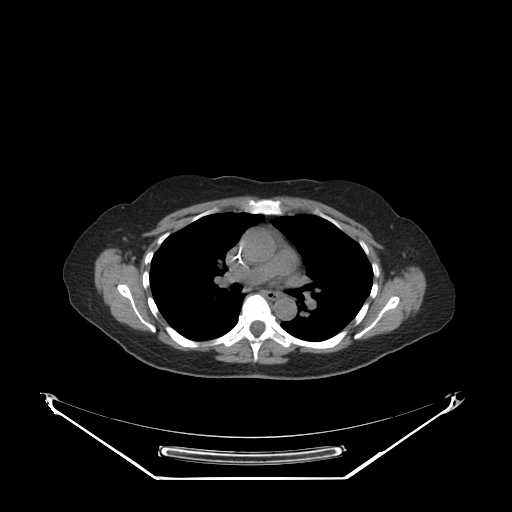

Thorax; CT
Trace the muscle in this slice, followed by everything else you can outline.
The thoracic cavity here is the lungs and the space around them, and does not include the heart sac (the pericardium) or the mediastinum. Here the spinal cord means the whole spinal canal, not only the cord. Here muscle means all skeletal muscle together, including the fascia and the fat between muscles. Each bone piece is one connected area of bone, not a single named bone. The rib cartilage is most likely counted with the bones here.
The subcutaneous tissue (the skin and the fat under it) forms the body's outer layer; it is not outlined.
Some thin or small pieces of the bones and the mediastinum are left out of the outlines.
Outlines:
muscle 1: (246, 195) (260, 198) (248, 198) (241, 201) (238, 204) (240, 211) (220, 212) (220, 208) (215, 205) (192, 216) (188, 223) (178, 230) (172, 233) (169, 231) (162, 233) (156, 240) (157, 249) (148, 251) (144, 256) (143, 262) (149, 265) (149, 270) (145, 269) (142, 272) (141, 283) (145, 290) (149, 288) (151, 292) (151, 295) (146, 297) (150, 312) (156, 319) (161, 314) (167, 322) (164, 329) (174, 342) (182, 347) (194, 349) (221, 344) (230, 347) (246, 339) (252, 351) (253, 362) (231, 363) (217, 360) (205, 353) (179, 350) (113, 317) (101, 300) (94, 282) (94, 263) (104, 249) (121, 248) (135, 256) (139, 264) (147, 247) (155, 238) (144, 237) (142, 234) (152, 230) (166, 215) (194, 204), around a hole outlined by (118, 284) (125, 284) (127, 285) (129, 288) (129, 290) (131, 293) (132, 298) (134, 301) (135, 306) (138, 312) (147, 322) (150, 323) (155, 327) (156, 329) (155, 332) (152, 332) (146, 325) (141, 322) (135, 313) (130, 303) (130, 301) (118, 291) (117, 289) (117, 285)
muscle 2: (275, 196) (302, 197) (319, 201) (365, 226) (373, 238) (383, 247) (376, 250) (385, 278) (402, 267) (418, 266) (424, 273) (426, 288) (417, 312) (388, 333) (378, 334) (365, 340) (357, 341) (335, 352) (298, 354) (280, 364) (257, 363) (259, 349) (263, 342) (268, 339) (284, 348) (292, 344) (314, 349) (327, 349) (336, 346) (348, 333) (348, 330) (344, 328) (352, 320) (355, 326) (358, 325) (366, 315) (370, 305) (366, 299) (368, 297) (373, 299) (377, 295) (378, 283) (375, 280) (373, 281) (373, 279) (380, 275) (378, 264) (375, 261) (370, 262) (368, 259) (370, 251) (367, 244) (360, 238) (356, 241) (350, 237) (336, 219) (318, 207) (312, 208) (310, 213) (286, 213) (288, 207) (280, 199) (270, 198) with a hole at (392, 296) (398, 296) (399, 297) (399, 301) (397, 305) (393, 308) (390, 308) (386, 310) (383, 313) (382, 316) (373, 327) (364, 333) (359, 338) (355, 339) (354, 338) (354, 335) (356, 333) (358, 333) (364, 328) (368, 326) (375, 319) (379, 312) (383, 308) (388, 300)
spinal cord: (254, 321) (260, 321) (261, 322) (262, 322) (264, 324) (264, 329) (263, 330) (263, 331) (259, 335) (258, 335) (257, 336) (256, 336) (255, 335) (254, 335) (251, 332) (251, 331) (250, 330) (250, 326) (251, 325) (251, 324)
bones 1: (256, 293) (266, 300) (280, 326) (297, 338) (322, 341) (343, 329) (347, 333) (340, 342) (327, 348) (292, 343) (284, 347) (268, 338) (260, 345) (256, 362) (246, 338) (230, 346) (222, 343) (182, 346) (171, 338) (166, 325) (194, 341) (217, 338) (237, 323) (245, 297) with a hole at (254, 321) (260, 321) (261, 322) (262, 322) (264, 324) (264, 329) (263, 330) (263, 331) (259, 335) (258, 335) (257, 336) (256, 336) (255, 335) (254, 335) (251, 332) (251, 331) (250, 330) (250, 326) (251, 325) (251, 324)
bones 2: (248, 199) (252, 199) (253, 200) (258, 200) (259, 199) (280, 200) (282, 202) (282, 204) (285, 207) (287, 207) (287, 209) (285, 211) (285, 213) (282, 215) (277, 215) (276, 214) (262, 214) (261, 213) (250, 213) (249, 212) (242, 211) (239, 207) (239, 204) (241, 202)
bones 3: (392, 296) (398, 296) (399, 297) (399, 301) (397, 305) (393, 308) (390, 308) (386, 310) (383, 313) (382, 316) (373, 327) (364, 333) (359, 338) (355, 339) (354, 338) (354, 335) (356, 333) (358, 333) (364, 328) (368, 326) (375, 319) (379, 312) (383, 308) (388, 300)
bones 4: (118, 284) (125, 284) (127, 285) (129, 288) (129, 290) (131, 293) (132, 298) (134, 301) (135, 306) (138, 312) (147, 322) (150, 323) (155, 327) (156, 329) (155, 332) (152, 332) (146, 325) (141, 322) (135, 313) (130, 303) (130, 301) (118, 291) (117, 289) (117, 285)
bones 5: (314, 208) (318, 208) (323, 213) (324, 213) (326, 215) (331, 217) (333, 219) (336, 220) (340, 224) (340, 225) (342, 227) (343, 230) (340, 229) (329, 220) (328, 220) (325, 218) (323, 218) (318, 215) (316, 215) (315, 214) (313, 214) (312, 213) (311, 213) (311, 210)
bones 6: (366, 301) (367, 301) (369, 303) (369, 305) (368, 306) (367, 311) (366, 312) (365, 315) (361, 320) (361, 321) (358, 324) (355, 325) (354, 324) (354, 321) (353, 320) (353, 319) (356, 315) (356, 314) (359, 311) (359, 310) (361, 308) (361, 307) (363, 305) (363, 304)
bones 7: (215, 206) (216, 206) (219, 208) (219, 212) (216, 212) (215, 213) (212, 213) (211, 214) (208, 214) (207, 215) (204, 215) (203, 216) (202, 216) (189, 223) (189, 221) (192, 218) (192, 217) (193, 217) (194, 216) (195, 216) (196, 215) (197, 215) (210, 208) (212, 208)
bones 8: (148, 296) (151, 296) (152, 297) (152, 298) (154, 300) (154, 302) (155, 303) (155, 304) (159, 311) (159, 313) (158, 314) (158, 317) (157, 318) (156, 318) (153, 315) (153, 314) (151, 312) (151, 311) (149, 308) (149, 306) (148, 305) (148, 303) (147, 302) (147, 297)
bones 9: (150, 251) (153, 251) (154, 252) (154, 253) (153, 254) (153, 255) (152, 256) (152, 258) (151, 259) (151, 260) (150, 261) (150, 263) (149, 264) (145, 264) (145, 263) (144, 262) (144, 259) (145, 258) (145, 256) (146, 255) (146, 254) (148, 252) (149, 252)
bones 10: (166, 232) (169, 232) (170, 233) (170, 234) (167, 237) (166, 237) (163, 240) (163, 241) (160, 244) (160, 245) (158, 247) (158, 246) (157, 245) (157, 240) (158, 239) (158, 238) (162, 234) (163, 234) (164, 233) (165, 233)
bones 11: (360, 239) (361, 240) (362, 240) (366, 244) (366, 245) (367, 246) (367, 247) (368, 248) (368, 250) (369, 251) (369, 254) (367, 256) (367, 255) (365, 253) (365, 252) (364, 251) (364, 250) (362, 248) (362, 247) (359, 244) (359, 243) (358, 242) (358, 241)
thoracic cavity 1: (241, 211) (250, 214) (261, 214) (263, 217) (248, 227) (225, 254) (224, 260) (227, 271) (231, 279) (241, 286) (240, 291) (245, 296) (237, 321) (229, 330) (217, 337) (206, 340) (188, 338) (168, 323) (152, 296) (149, 271) (153, 256) (166, 238) (186, 225) (204, 216)
thoracic cavity 2: (299, 213) (312, 214) (325, 219) (357, 242) (370, 263) (373, 275) (368, 296) (353, 318) (340, 331) (322, 340) (307, 340) (297, 337) (280, 324) (293, 320) (298, 314) (297, 298) (294, 295) (296, 289) (303, 285) (307, 274) (301, 254) (272, 224) (272, 221) (279, 216)
mediastinum 1: (292, 244) (302, 258) (306, 274) (302, 285) (295, 289) (293, 295) (296, 298) (297, 314) (293, 319) (279, 323) (273, 314) (267, 300) (261, 294) (256, 292) (245, 295) (241, 291) (242, 286) (240, 284) (252, 287) (281, 288) (296, 282) (302, 272) (302, 261) (301, 257)
mediastinum 2: (264, 215) (276, 215) (277, 216) (278, 216) (277, 217) (274, 218) (271, 221) (271, 224) (273, 226) (272, 226) (268, 223) (265, 223) (264, 224) (257, 224) (256, 225) (254, 225) (258, 222) (261, 221) (263, 219) (263, 218) (264, 217)
pericardium: (265, 224) (270, 225) (280, 232) (287, 239) (300, 257) (301, 261) (301, 272) (297, 280) (293, 283) (281, 287) (265, 287) (264, 286) (246, 285) (235, 280) (228, 271) (227, 258) (228, 257) (228, 253) (232, 247) (238, 243) (239, 240) (247, 229) (257, 225) (264, 225)
torso: (186, 173) (212, 177) (237, 175) (264, 181) (340, 178) (374, 189) (400, 215) (414, 221) (430, 239) (455, 286) (452, 318) (439, 331) (366, 366) (317, 379) (196, 377) (158, 369) (140, 361) (72, 307) (62, 279) (62, 267) (80, 234) (106, 209) (133, 200) (160, 179)